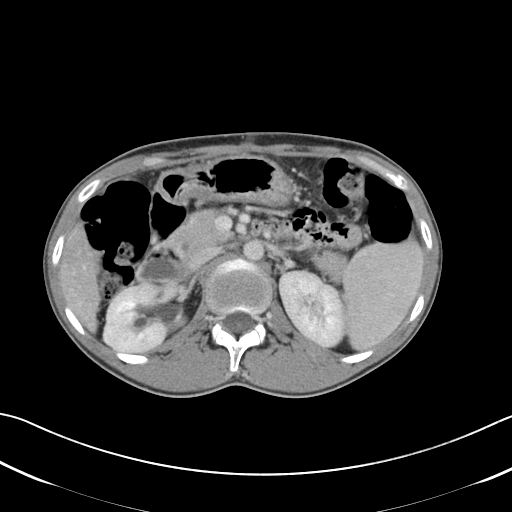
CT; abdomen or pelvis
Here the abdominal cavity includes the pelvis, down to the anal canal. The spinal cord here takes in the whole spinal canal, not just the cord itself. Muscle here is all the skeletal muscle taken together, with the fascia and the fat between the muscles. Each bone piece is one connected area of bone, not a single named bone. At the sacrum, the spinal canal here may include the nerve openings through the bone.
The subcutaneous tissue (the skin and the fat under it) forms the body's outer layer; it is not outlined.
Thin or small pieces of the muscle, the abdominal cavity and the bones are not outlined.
The muscle is outlined by (246, 142) (251, 142) (257, 145) (269, 145) (270, 144) (325, 145) (326, 146) (335, 146) (345, 149) (363, 150) (374, 155) (376, 155) (399, 169) (413, 183) (419, 192) (430, 217) (438, 241) (438, 249) (439, 252) (438, 253) (437, 272) (435, 276) (434, 284) (428, 302) (426, 304) (426, 306) (416, 325) (407, 337) (396, 348) (385, 356) (368, 365) (346, 379) (342, 380) (335, 384) (320, 389) (317, 389) (312, 391) (305, 391) (304, 392) (283, 391) (282, 390) (270, 389) (269, 388) (262, 387) (259, 385) (256, 385) (247, 380) (245, 380) (241, 377) (235, 377) (234, 376) (230, 379) (217, 385) (203, 389) (191, 390) (190, 391) (168, 391) (163, 389) (159, 389) (137, 381) (111, 366) (88, 349) (76, 337) (63, 319) (54, 300) (54, 297) (52, 293) (52, 290) (50, 286) (50, 282) (48, 277) (48, 266) (47, 265) (48, 248) (49, 247) (50, 240) (57, 225) (57, 223) (67, 203) (77, 189) (85, 181) (93, 175) (115, 162) (139, 154) (148, 154) (149, 153) (165, 152) (166, 151) (177, 151) (182, 149) (195, 148) (196, 147) (207, 146) (208, 145) (240, 144), around holes outlined by (238, 152) (292, 157) (339, 155) (394, 187) (392, 181) (358, 159) (364, 156) (405, 177) (409, 184) (404, 192) (407, 200) (416, 220) (422, 218) (426, 222) (432, 240) (430, 250) (423, 242) (425, 267) (419, 290) (423, 306) (418, 315) (410, 322) (408, 315) (369, 356) (347, 363) (340, 360) (345, 354) (322, 349) (294, 331) (273, 291) (261, 315) (266, 329) (264, 342) (243, 352) (235, 372) (229, 369) (227, 348) (212, 340) (211, 329) (216, 315) (204, 291) (189, 323) (145, 353) (148, 359) (145, 363) (125, 362) (88, 331) (81, 334) (65, 313) (68, 302) (60, 284) (60, 262) (54, 266) (51, 260) (57, 239) (62, 234) (66, 239) (78, 217) (82, 206) (77, 201) (79, 192) (98, 178) (100, 188) (129, 172) and by (148, 157) (158, 157) (159, 158) (162, 158) (163, 159) (163, 160) (162, 161) (160, 161) (159, 162) (157, 162) (156, 163) (154, 163) (153, 164) (151, 164) (150, 165) (144, 165) (143, 164) (143, 163) (142, 162) (142, 161) (145, 158) (147, 158). The torso is outlined by (245, 131) (291, 131) (347, 138) (378, 149) (405, 168) (423, 190) (442, 239) (442, 271) (431, 309) (399, 353) (359, 379) (320, 395) (280, 397) (232, 385) (194, 397) (165, 397) (136, 388) (90, 360) (58, 323) (42, 273) (50, 225) (76, 183) (122, 152) (166, 139). The abdominal cavity is outlined by (238, 152) (292, 157) (339, 155) (405, 193) (423, 240) (425, 267) (409, 315) (381, 343) (346, 355) (306, 341) (292, 328) (268, 276) (257, 264) (241, 257) (215, 266) (189, 323) (147, 353) (114, 351) (84, 329) (60, 284) (60, 258) (82, 204) (106, 182) (122, 174). The spinal cord is outlined by (237, 311) (241, 311) (244, 313) (246, 313) (250, 315) (250, 316) (255, 321) (255, 323) (253, 327) (251, 329) (241, 334) (234, 334) (233, 333) (231, 333) (227, 331) (223, 328) (223, 325) (222, 324) (222, 320) (228, 314) (231, 314). The bones appear in 9 outlined pieces: piece 1: (236, 258) (257, 265) (269, 279) (272, 291) (270, 302) (261, 315) (261, 321) (266, 329) (264, 342) (247, 348) (240, 358) (238, 369) (232, 372) (229, 369) (230, 355) (227, 348) (212, 340) (211, 329) (216, 322) (213, 318) (216, 315) (206, 301) (205, 290) (216, 266); inner edge: (237, 311) (241, 311) (244, 313) (246, 313) (250, 315) (250, 316) (255, 321) (255, 323) (253, 327) (251, 329) (241, 334) (234, 334) (233, 333) (231, 333) (227, 331) (223, 328) (223, 325) (222, 324) (222, 320) (228, 314) (231, 314); piece 2: (358, 156) (364, 156) (365, 157) (367, 157) (375, 161) (393, 173) (402, 175) (405, 177) (405, 178) (408, 181) (408, 183) (409, 184) (409, 187) (408, 189) (404, 191) (399, 187) (397, 187) (392, 181) (385, 177) (377, 170) (367, 165) (358, 159) (357, 157); piece 3: (98, 178) (101, 180) (101, 184) (99, 186) (99, 187) (94, 192) (94, 193) (87, 200) (86, 200) (83, 203) (81, 203) (80, 202) (77, 201) (77, 196) (78, 195) (79, 192) (86, 185) (87, 185) (90, 182) (91, 182) (93, 180) (94, 180) (95, 179) (97, 179); piece 4: (116, 352) (121, 352) (122, 353) (126, 353) (127, 354) (136, 354) (137, 355) (144, 355) (146, 357) (147, 357) (148, 360) (147, 362) (145, 363) (143, 363) (142, 364) (132, 364) (131, 363) (128, 363) (127, 362) (125, 362) (121, 359) (120, 359) (116, 355); piece 5: (419, 218) (422, 218) (426, 222) (429, 228) (429, 230) (431, 234) (431, 239) (432, 240) (432, 248) (430, 250) (428, 250) (427, 249) (426, 247) (426, 245) (425, 244) (425, 242) (422, 237) (422, 234) (421, 233) (420, 226) (418, 222) (418, 219); piece 6: (62, 234) (63, 234) (64, 235) (64, 243) (63, 244) (63, 247) (62, 248) (61, 255) (59, 258) (59, 261) (58, 262) (58, 263) (55, 266) (54, 266) (52, 264) (51, 257) (52, 256) (53, 249) (54, 248) (54, 246) (57, 241) (57, 239) (59, 237) (59, 236); piece 7: (370, 349) (372, 349) (373, 350) (373, 352) (369, 356) (360, 361) (354, 362) (353, 363) (347, 363) (346, 362) (342, 362) (340, 360) (340, 358) (342, 357) (344, 357) (348, 355) (351, 355) (352, 354) (355, 354) (356, 353) (359, 353) (360, 352) (363, 352); piece 8: (67, 305) (68, 306) (69, 306) (69, 307) (71, 309) (71, 310) (73, 312) (73, 313) (75, 315) (75, 316) (77, 318) (77, 319) (81, 324) (83, 329) (85, 331) (85, 334) (81, 334) (71, 324) (71, 323) (69, 321) (69, 320) (65, 313) (65, 307); piece 9: (421, 293) (423, 295) (423, 306) (422, 307) (422, 309) (421, 310) (421, 311) (418, 314) (418, 315) (412, 321) (411, 321) (410, 322) (408, 322) (407, 321) (409, 318) (410, 313) (414, 306) (414, 304) (415, 303) (415, 302) (416, 301) (419, 294) (420, 294).